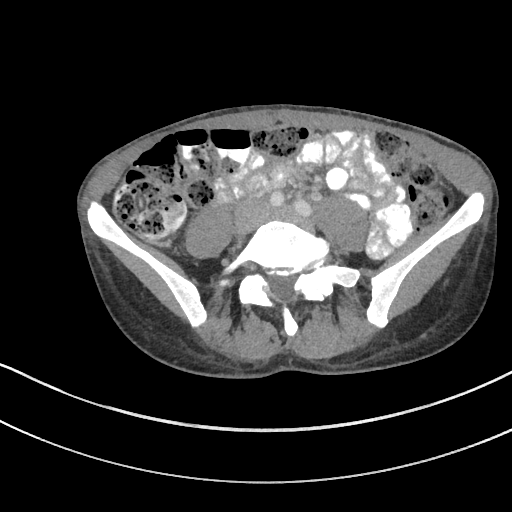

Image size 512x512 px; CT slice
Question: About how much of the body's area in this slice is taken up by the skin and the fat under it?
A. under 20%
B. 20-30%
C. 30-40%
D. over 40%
Answer: B. 20-30%
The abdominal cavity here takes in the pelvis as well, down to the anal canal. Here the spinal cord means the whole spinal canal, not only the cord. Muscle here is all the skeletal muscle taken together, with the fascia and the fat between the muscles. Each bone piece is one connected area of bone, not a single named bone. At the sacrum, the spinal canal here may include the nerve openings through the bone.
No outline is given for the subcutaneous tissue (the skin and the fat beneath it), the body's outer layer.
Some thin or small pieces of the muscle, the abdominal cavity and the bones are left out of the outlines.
The muscle appears in 5 outlined pieces: piece 1: [[256,363],[268,361],[278,353],[329,359],[363,348],[381,329],[371,325],[365,317],[370,299],[369,277],[411,251],[453,212],[406,239],[379,268],[361,267],[361,277],[354,287],[335,285],[334,292],[322,302],[299,298],[291,305],[299,324],[292,337],[283,330],[277,306],[239,303],[240,270],[226,276],[221,273],[211,282],[199,282],[167,256],[133,239],[198,287],[208,318],[201,326],[191,328],[208,348],[227,358]], around a hole outlined by [[221,288],[223,288],[224,287],[225,287],[226,286],[227,286],[228,285],[229,285],[229,283],[230,282],[230,281],[228,278],[227,278],[226,277],[224,277],[223,278],[221,278],[217,282],[217,284],[218,285],[218,286]]; piece 2: [[388,324],[420,301],[451,264],[471,230],[490,216],[490,179],[481,166],[463,152],[417,132],[349,115],[264,108],[200,119],[148,136],[100,166],[86,186],[81,211],[86,226],[93,233],[85,214],[89,202],[95,199],[102,203],[123,170],[145,149],[174,131],[187,127],[253,129],[274,123],[305,123],[323,129],[386,131],[421,151],[466,197],[472,191],[480,190],[486,199],[478,222],[440,245],[409,273],[390,308]]; piece 3: [[357,252],[359,252],[363,248],[363,246],[365,243],[365,236],[368,228],[367,226],[368,222],[366,219],[365,212],[355,203],[351,201],[348,201],[340,197],[326,196],[317,202],[314,208],[314,214],[313,215],[315,222],[320,229],[327,236],[341,247]]; piece 4: [[198,258],[210,258],[211,257],[215,257],[217,255],[218,255],[227,245],[229,241],[234,235],[234,230],[235,229],[235,221],[231,213],[222,208],[212,206],[204,210],[193,222],[186,236],[186,240],[185,241],[185,248],[189,254],[195,257],[197,257]]; piece 5: [[190,327],[185,316],[179,308],[177,303],[174,300],[169,290],[160,278],[152,270],[151,270],[144,263],[130,255],[125,251],[115,246],[113,244],[101,239],[95,235],[111,251],[119,262],[128,269],[148,288],[161,304],[165,306],[170,311],[179,316]]. The abdominal cavity is outlined by [[199,281],[214,279],[240,252],[257,226],[272,217],[293,221],[328,240],[329,263],[377,268],[406,238],[456,210],[466,198],[421,152],[386,132],[323,130],[305,124],[274,124],[253,130],[183,129],[156,142],[127,167],[103,205],[130,237],[167,255]], around a hole outlined by [[357,252],[359,252],[363,248],[363,246],[365,243],[365,236],[368,228],[367,226],[368,222],[366,219],[365,212],[355,203],[351,201],[348,201],[340,197],[326,196],[317,202],[314,208],[314,214],[313,215],[315,222],[320,229],[327,236],[341,247]]. The torso is outlined by [[225,379],[255,379],[282,371],[343,375],[387,369],[433,356],[465,336],[484,310],[495,273],[499,192],[485,161],[458,141],[403,121],[281,103],[219,108],[186,117],[141,134],[97,160],[78,187],[76,213],[106,311],[121,333],[150,358],[190,374]]. The bones appear in 3 outlined pieces: piece 1: [[289,336],[298,329],[290,309],[294,301],[301,296],[305,300],[322,301],[333,292],[335,284],[352,287],[361,274],[358,268],[327,263],[329,242],[323,237],[293,222],[272,218],[258,226],[222,273],[240,269],[243,273],[238,286],[240,303],[277,305]], around a hole outlined by [[280,299],[285,299],[286,298],[289,297],[289,296],[290,295],[291,295],[291,294],[292,293],[292,284],[294,281],[294,279],[295,278],[295,275],[291,275],[290,276],[278,276],[277,275],[265,275],[265,278],[269,284],[270,291],[276,297],[277,297]]; piece 2: [[378,328],[382,328],[387,325],[389,308],[398,292],[401,283],[414,266],[440,244],[479,220],[484,209],[485,199],[484,195],[480,191],[472,192],[460,207],[442,226],[411,252],[370,277],[371,299],[366,308],[366,317],[367,320],[371,324],[373,324]]; piece 3: [[191,327],[197,327],[201,325],[205,322],[207,318],[207,312],[201,301],[199,291],[194,283],[136,244],[115,223],[102,204],[95,200],[92,200],[90,202],[86,214],[88,224],[94,233],[138,258],[152,269],[166,284],[186,316]]. The spinal cord is outlined by [[280,299],[285,299],[286,298],[289,297],[289,296],[290,295],[291,295],[291,294],[292,293],[292,284],[294,281],[294,279],[295,278],[295,275],[291,275],[290,276],[278,276],[277,275],[265,275],[265,278],[269,284],[270,291],[276,297],[277,297]].